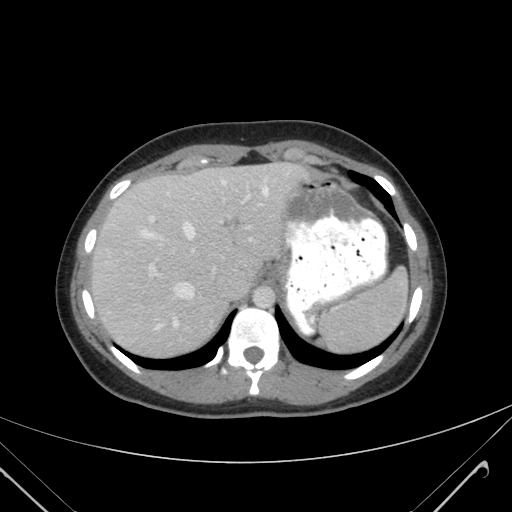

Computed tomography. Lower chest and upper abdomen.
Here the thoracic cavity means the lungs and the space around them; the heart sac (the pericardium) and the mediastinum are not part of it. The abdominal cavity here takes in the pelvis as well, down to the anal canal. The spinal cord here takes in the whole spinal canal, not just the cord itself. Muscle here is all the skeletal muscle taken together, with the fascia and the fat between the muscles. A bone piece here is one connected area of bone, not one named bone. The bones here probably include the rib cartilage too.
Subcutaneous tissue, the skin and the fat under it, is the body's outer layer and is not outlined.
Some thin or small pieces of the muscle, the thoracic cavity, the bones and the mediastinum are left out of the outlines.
Outlined structures:
muscle: 296,406 297,405 308,405 311,406 327,402 338,397 346,395 366,382 377,377 396,364 410,349 412,345 422,334 425,329 430,314 430,308 432,301 432,290 433,289 432,266 429,255 428,242 425,233 422,229 422,227 409,210 409,208 407,206 407,204 400,189 394,182 393,179 383,170 373,165 357,161 348,156 335,152 317,143 301,139 288,139 276,142 272,141 265,144 256,145 255,146 246,146 238,144 223,144 222,143 220,144 192,144 179,148 148,164 146,164 137,169 125,173 111,183 104,192 97,206 83,227 79,236 75,251 75,262 70,282 70,301 71,302 71,307 74,319 85,340 105,358 109,360 125,374 134,380 160,394 168,396 177,400 181,400 186,402 192,402 193,403 201,403 202,404 218,404 219,403 224,403 228,401 240,400 244,398 247,399 263,398 272,401 291,404 with holes at 251,395 259,392 261,374 278,362 282,340 298,360 324,368 350,368 343,377 354,379 374,368 403,322 414,319 422,289 412,290 407,247 416,250 416,236 407,222 399,221 391,199 396,190 383,176 321,166 316,155 305,156 294,146 283,152 289,161 271,161 254,151 217,164 210,164 205,155 190,155 175,168 154,172 132,185 130,179 122,180 110,190 109,198 116,199 98,231 90,229 85,238 86,253 93,250 91,293 85,288 81,293 87,314 92,319 97,316 112,340 109,349 139,374 140,365 209,367 219,363 226,351 227,364 242,367 251,379 and at 221,374 222,374 223,374 224,374 225,374 226,374 227,373 227,372 227,371 227,370 227,369 226,368 225,367 224,366 223,366 222,366 221,367 221,368 220,369 220,370 220,371 220,372 220,373
bones 1: 251,395 256,395 259,392 257,382 261,374 278,362 281,339 276,320 271,313 258,308 248,307 236,313 226,342 218,348 215,356 202,366 209,367 219,363 226,351 227,364 232,367 242,367 251,379 249,389 with a hole at 251,363 256,363 262,357 262,356 263,355 263,352 262,351 262,350 261,349 260,349 257,347 255,347 254,346 253,346 252,347 250,347 249,348 247,348 244,351 244,356 245,357 245,358 248,361 249,361
bones 2: 346,379 354,379 360,376 362,376 364,374 367,373 370,370 374,368 382,360 384,356 384,353 382,352 380,354 379,354 374,358 371,359 369,361 360,365 358,367 356,367 353,369 351,369 343,376 343,377
bones 3: 405,323 410,323 412,322 412,321 414,319 419,309 419,307 421,303 421,299 422,298 422,289 420,286 417,286 413,291 413,293 411,297 411,300 410,301 410,305 409,306 409,311 408,312 408,315 405,320
bones 4: 139,374 141,373 141,371 139,369 139,366 137,365 133,361 132,361 128,357 127,357 122,352 121,352 113,344 111,344 109,346 109,349 112,352 112,353 123,364 124,364 128,368 129,368 131,370
bones 5: 176,167 181,167 182,166 188,166 189,165 194,165 195,164 198,164 199,163 209,163 209,162 210,161 210,160 209,159 209,158 207,156 206,156 205,155 190,155 189,156 187,156 186,157 184,157 175,166
bones 6: 413,251 415,251 417,248 417,242 416,241 416,236 415,235 415,233 414,232 413,229 411,227 411,226 407,222 403,222 402,223 402,226 403,227 403,230 404,231 404,236 405,237 406,242 407,243 409,248
bones 7: 92,319 95,317 95,314 94,313 94,308 93,307 93,303 91,299 91,296 88,290 84,288 82,290 82,292 81,293 82,294 82,299 83,300 84,307 85,308 85,310 87,314 89,316 89,317
bones 8: 391,196 393,196 394,195 395,195 397,193 396,192 396,190 395,189 395,188 393,186 393,185 387,179 386,179 383,176 382,176 381,175 379,175 378,174 375,174 374,175 373,175 373,176 372,177
bones 9: 110,199 113,199 114,198 115,198 118,195 119,195 131,183 131,180 130,179 125,179 124,180 122,180 121,181 120,181 119,182 118,182 115,185 114,185 112,187 112,188 110,190 110,191 109,192 109,198
bones 10: 290,160 295,160 296,159 298,159 299,158 302,157 305,154 304,153 304,152 301,149 300,149 299,148 298,148 295,146 294,146 293,147 289,147 288,148 287,148 283,152 284,153 284,156 286,158 287,158
abdominal cavity: 154,359 205,345 230,310 258,285 274,291 284,317 304,341 340,355 378,345 403,323 412,293 401,227 349,176 309,164 271,161 254,151 237,161 165,169 144,177 105,214 92,254 90,283 95,313 110,339
mediastinum: 274,315 274,308 277,304 277,300 274,295 273,291 271,289 267,288 264,286 258,286 250,290 250,291 231,310 231,311 234,309 236,309 237,311 241,308 250,306 251,307 258,307 262,309 265,309 271,312
torso: 198,419 295,418 340,412 397,391 424,363 438,333 447,298 447,268 440,236 398,168 356,135 305,119 206,122 179,127 146,141 118,161 75,216 60,253 54,293 60,325 77,358 89,375 115,396 146,408
thoracic cavity 1: 331,369 353,368 374,357 383,351 389,345 398,334 403,324 402,323 400,324 392,334 378,346 359,354 340,356 320,350 300,339 294,333 283,317 279,307 276,306 275,317 279,326 281,338 292,355 304,363
thoracic cavity 2: 152,369 189,368 202,365 211,359 214,356 217,348 225,342 229,332 232,318 236,310 230,313 218,333 205,346 195,352 192,352 184,356 165,360 142,358 131,354 118,346 117,344 114,344 137,364
thoracic cavity 3: 401,226 401,223 397,217 391,197 372,178 361,173 356,172 353,170 349,170 348,173 350,177 358,183 361,183 365,185 374,194 374,195 375,195 376,197 377,197 378,199 384,204 388,211 390,212
spinal cord: 251,363 256,363 262,357 262,356 263,355 263,352 262,351 262,350 261,349 260,349 257,347 255,347 254,346 253,346 252,347 250,347 249,348 247,348 244,351 244,356 245,357 245,358 248,361 249,361